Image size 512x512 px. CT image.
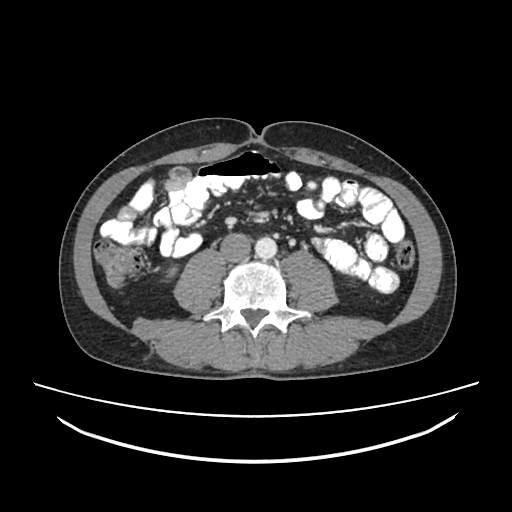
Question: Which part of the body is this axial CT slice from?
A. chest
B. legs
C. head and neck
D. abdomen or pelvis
Answer: D. abdomen or pelvis
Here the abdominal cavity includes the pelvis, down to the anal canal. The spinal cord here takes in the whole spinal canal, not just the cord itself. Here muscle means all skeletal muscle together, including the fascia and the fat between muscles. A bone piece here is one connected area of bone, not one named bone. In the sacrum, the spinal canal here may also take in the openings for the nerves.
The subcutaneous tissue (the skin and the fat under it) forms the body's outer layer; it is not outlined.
{"torso":[[[274,381],[375,372],[421,361],[434,352],[450,326],[457,291],[456,256],[445,219],[402,165],[339,128],[288,120],[271,123],[257,134],[242,120],[207,117],[157,131],[105,165],[73,206],[58,257],[59,297],[67,328],[85,354],[114,367],[200,380]]],"bones":[{"outer":[[254,338],[269,325],[285,334],[289,323],[298,318],[310,318],[311,314],[287,305],[286,284],[275,268],[260,264],[239,264],[230,271],[223,281],[222,305],[206,314],[203,319],[205,321],[218,319],[221,322],[222,333],[237,326],[247,329]],"hole":[[251,327],[253,327],[258,322],[258,321],[265,314],[266,314],[266,312],[265,311],[250,311],[249,310],[246,310],[245,311],[242,311],[242,313],[243,314],[243,315],[246,318],[246,319],[247,320],[247,321],[250,324],[250,325],[251,326]]}],"abdominal_cavity":[[[129,329],[137,316],[191,314],[173,290],[204,247],[222,255],[228,274],[239,263],[280,272],[285,256],[306,251],[332,276],[337,302],[322,315],[388,323],[416,278],[414,238],[373,182],[264,147],[208,163],[161,165],[108,205],[91,245],[98,287]]],"muscle":[{"outer":[[226,373],[237,373],[242,371],[257,371],[258,370],[272,372],[273,373],[287,373],[292,371],[296,371],[294,370],[295,369],[312,370],[318,367],[322,367],[338,362],[341,362],[354,354],[362,345],[364,345],[373,338],[385,334],[397,327],[415,321],[423,316],[431,307],[435,299],[437,298],[437,292],[440,285],[440,281],[443,270],[443,260],[442,259],[442,248],[440,242],[440,237],[436,227],[427,210],[418,198],[406,186],[400,182],[387,176],[374,174],[342,157],[332,155],[324,151],[321,151],[305,146],[287,146],[286,145],[275,146],[271,145],[256,137],[249,138],[240,142],[215,141],[197,145],[193,147],[178,149],[164,154],[155,159],[149,160],[144,163],[131,165],[123,168],[117,172],[113,173],[104,180],[94,191],[83,208],[78,219],[74,234],[73,253],[72,254],[73,270],[74,271],[75,280],[79,290],[79,294],[82,297],[84,303],[95,315],[122,332],[136,337],[143,342],[150,349],[152,353],[155,353],[163,361],[170,365],[175,366],[181,369],[186,369],[199,372],[225,372]],"hole":[[254,338],[311,317],[287,305],[279,269],[297,249],[332,276],[337,302],[322,315],[390,322],[417,274],[402,212],[371,181],[257,145],[145,171],[94,230],[111,310],[129,329],[137,316],[186,319],[173,290],[208,247],[228,275],[222,305],[203,319]]}],"spinal_cord":[[[251,327],[253,327],[258,322],[258,321],[265,314],[266,314],[266,312],[265,311],[250,311],[249,310],[246,310],[245,311],[242,311],[242,313],[243,314],[243,315],[246,318],[246,319],[247,320],[247,321],[250,324],[250,325],[251,326]]]}